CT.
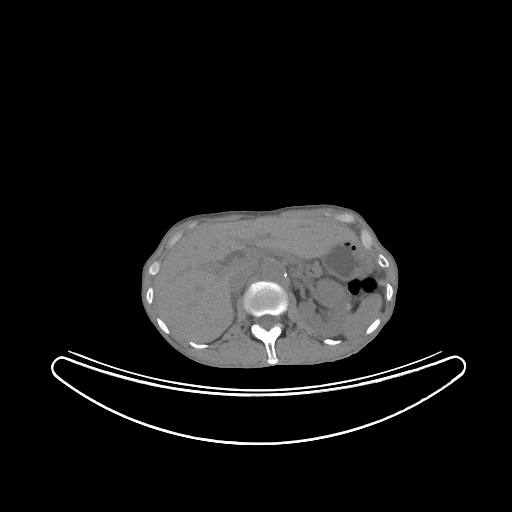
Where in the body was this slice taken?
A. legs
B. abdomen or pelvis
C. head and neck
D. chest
B. abdomen or pelvis
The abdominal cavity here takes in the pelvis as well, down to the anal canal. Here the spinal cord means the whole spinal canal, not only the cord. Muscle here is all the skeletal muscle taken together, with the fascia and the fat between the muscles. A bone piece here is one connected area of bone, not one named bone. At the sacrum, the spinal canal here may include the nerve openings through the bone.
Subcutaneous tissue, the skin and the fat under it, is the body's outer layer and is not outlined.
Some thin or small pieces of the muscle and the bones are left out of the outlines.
The abdominal cavity is outlined by [[323,215],[352,223],[385,274],[383,310],[357,337],[342,340],[318,335],[304,324],[295,296],[277,282],[264,279],[253,281],[246,288],[236,301],[234,323],[211,343],[178,337],[159,316],[153,302],[154,279],[162,260],[182,234],[219,222]]. The muscle appears in 5 outlined pieces: piece 1: [[242,296],[243,308],[255,319],[249,327],[250,333],[263,343],[267,355],[267,363],[249,366],[219,365],[208,363],[188,354],[166,335],[171,332],[178,338],[188,342],[190,346],[196,349],[208,348],[209,344],[219,340],[235,323],[237,318],[237,301]]; piece 2: [[287,292],[294,296],[303,324],[318,336],[325,338],[322,340],[324,344],[331,346],[337,345],[342,341],[357,338],[364,332],[366,335],[369,335],[377,329],[357,347],[339,356],[314,361],[278,362],[275,343],[283,331],[280,316],[288,308],[289,300]]; piece 3: [[321,207],[331,207],[336,209],[349,211],[358,216],[364,222],[371,232],[374,239],[389,255],[392,260],[395,269],[394,295],[394,289],[392,285],[389,282],[385,282],[386,274],[384,268],[388,268],[390,266],[389,260],[382,253],[378,253],[376,255],[370,249],[373,243],[373,239],[370,233],[365,228],[359,229],[353,223],[355,221],[355,217],[351,213],[343,212],[336,214],[334,217],[328,214],[323,214],[322,215],[313,215],[304,217],[272,216],[271,217],[263,217],[258,219],[246,218],[245,219],[237,219],[229,221],[219,221],[218,222],[212,222],[198,225],[184,233],[182,233],[181,231],[177,231],[169,238],[168,245],[170,247],[167,253],[165,254],[161,260],[161,262],[160,263],[158,260],[155,260],[147,268],[147,273],[151,276],[155,277],[153,279],[153,287],[149,286],[147,288],[144,294],[144,298],[144,276],[147,265],[157,252],[170,231],[179,224],[188,220],[200,217],[213,217],[214,216],[223,216],[230,214],[267,215],[268,214],[278,214],[280,212],[287,210],[312,209]]; piece 4: [[393,296],[393,300],[392,301],[392,304],[391,305],[389,313],[379,326],[381,322],[381,319],[378,316],[380,314],[380,313],[381,313],[382,311],[384,310],[384,308],[385,307],[385,304],[386,303],[386,300],[388,302],[389,302],[392,299]]; piece 5: [[145,299],[145,301],[149,305],[153,303],[153,305],[158,315],[158,316],[157,316],[155,319],[156,321],[156,323],[156,322],[154,321],[154,320],[152,318],[151,315],[149,313],[147,309],[147,307],[145,303]]. The bones appear in 7 outlined pieces: piece 1: [[260,280],[275,282],[287,293],[287,308],[279,316],[282,331],[274,343],[277,358],[275,364],[267,362],[268,355],[265,345],[251,333],[250,327],[255,321],[262,328],[268,330],[278,322],[279,318],[267,313],[254,318],[243,305],[244,292],[253,282]]; piece 2: [[361,229],[365,229],[369,233],[369,234],[371,236],[371,238],[372,239],[372,243],[371,244],[371,246],[369,248],[368,248],[367,247],[366,247],[364,245],[364,244],[362,242],[362,240],[361,239],[361,236],[360,235],[360,230]]; piece 3: [[378,317],[380,319],[380,322],[379,323],[379,324],[378,325],[378,326],[371,333],[370,333],[369,334],[366,334],[366,333],[365,332],[366,331],[366,329],[368,327],[368,326],[376,318],[377,318]]; piece 4: [[155,261],[158,261],[159,262],[159,269],[158,270],[158,271],[157,272],[157,273],[155,275],[151,275],[149,273],[148,273],[148,268],[149,267],[149,266],[153,262],[154,262]]; piece 5: [[378,254],[382,254],[388,260],[388,261],[389,262],[389,266],[388,267],[382,267],[381,266],[380,266],[380,265],[378,263],[378,262],[377,261],[377,256],[378,255]]; piece 6: [[157,317],[159,317],[165,323],[165,324],[167,326],[167,327],[169,329],[169,330],[170,331],[170,332],[168,334],[167,334],[166,333],[165,333],[159,327],[159,326],[158,325],[158,324],[157,323],[157,321],[156,320],[156,319],[157,318]]; piece 7: [[177,232],[181,232],[181,235],[180,236],[180,237],[171,246],[170,246],[169,245],[169,240],[170,239],[170,238],[175,233],[176,233]]. The spinal cord is outlined by [[267,314],[268,315],[272,315],[273,316],[276,316],[278,318],[278,320],[277,321],[277,322],[273,326],[272,326],[268,329],[266,329],[265,328],[262,327],[257,322],[256,322],[256,318],[257,318],[258,317],[260,317],[263,315],[266,315]]. The torso is outlined by [[314,203],[332,203],[359,212],[397,262],[399,285],[393,314],[379,334],[363,349],[343,359],[313,365],[274,365],[252,369],[220,368],[203,365],[185,357],[158,333],[142,307],[141,270],[145,260],[172,224],[186,216],[202,212],[233,209],[269,210]].